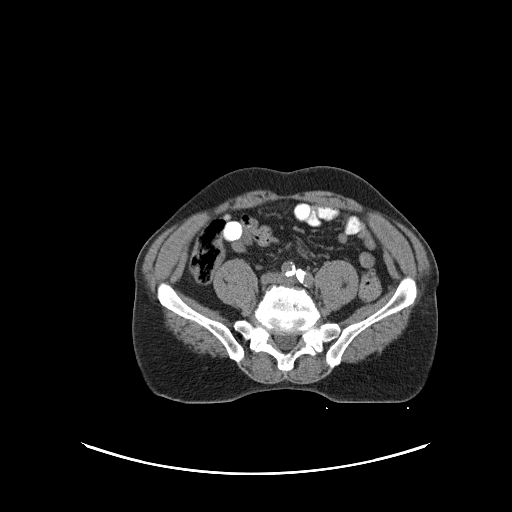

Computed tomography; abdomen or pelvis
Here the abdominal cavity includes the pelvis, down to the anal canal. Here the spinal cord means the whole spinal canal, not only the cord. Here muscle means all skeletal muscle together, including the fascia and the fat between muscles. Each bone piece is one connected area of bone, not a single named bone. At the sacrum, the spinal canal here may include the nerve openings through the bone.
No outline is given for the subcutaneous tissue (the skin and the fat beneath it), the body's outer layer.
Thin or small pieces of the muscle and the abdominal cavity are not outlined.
Outlines (x, y in pixels):
torso: (316, 165) (343, 168) (369, 182) (416, 227) (434, 254) (439, 272) (438, 339) (423, 389) (400, 403) (337, 403) (315, 392) (294, 389) (204, 404) (181, 403) (152, 393) (136, 364) (131, 338) (134, 265) (145, 241) (183, 203) (229, 171) (251, 166) (291, 171)
bones 1: (406, 276) (416, 283) (413, 303) (361, 331) (332, 369) (325, 361) (332, 340) (314, 355) (300, 355) (283, 371) (271, 354) (250, 349) (249, 341) (233, 328) (237, 320) (255, 321) (258, 302) (275, 284) (305, 289) (319, 311) (317, 323) (335, 322) (342, 329) (381, 308); inner edge: (285, 333) (286, 334) (294, 334) (297, 340) (296, 342) (296, 344) (293, 348) (293, 349) (291, 349) (288, 351) (284, 351) (281, 349) (279, 349) (277, 348) (274, 345) (275, 343) (274, 341) (274, 337) (275, 335) (276, 334) (284, 334)
bones 2: (162, 282) (168, 283) (175, 290) (179, 297) (191, 308) (213, 320) (223, 323) (232, 331) (232, 333) (235, 338) (243, 348) (244, 352) (244, 356) (239, 364) (230, 359) (223, 344) (207, 329) (194, 321) (178, 315) (173, 311) (163, 306) (159, 302) (156, 295) (157, 286)
spinal cord: (285, 333) (286, 334) (294, 334) (297, 340) (296, 342) (296, 344) (293, 348) (293, 349) (291, 349) (288, 351) (284, 351) (281, 349) (279, 349) (277, 348) (274, 345) (275, 343) (274, 341) (274, 337) (275, 335) (276, 334) (284, 334)
muscle 1: (253, 190) (270, 190) (279, 195) (331, 191) (403, 223) (421, 243) (430, 266) (428, 280) (405, 333) (372, 358) (341, 363) (345, 350) (361, 332) (414, 303) (417, 283) (411, 276) (404, 276) (381, 307) (342, 328) (339, 322) (358, 308) (377, 302) (392, 285) (379, 240) (366, 222) (348, 209) (303, 199) (282, 198) (251, 207) (229, 209) (202, 225) (188, 244) (176, 285) (187, 296) (233, 322) (233, 330) (248, 341) (249, 349) (271, 355) (276, 367) (283, 372) (290, 371) (300, 356) (314, 356) (323, 351) (324, 343) (332, 341) (324, 354) (324, 361) (332, 370) (330, 373) (311, 383) (287, 380) (262, 383) (250, 378) (229, 359) (199, 354) (179, 343) (165, 327) (147, 292) (142, 273) (144, 258) (154, 241) (176, 223) with a hole at (162, 282) (168, 283) (175, 290) (179, 297) (191, 308) (213, 320) (223, 323) (232, 331) (232, 333) (235, 338) (243, 348) (244, 352) (244, 356) (239, 364) (230, 359) (223, 344) (207, 329) (194, 321) (178, 315) (173, 311) (163, 306) (159, 302) (156, 295) (157, 286)
muscle 2: (232, 259) (242, 259) (244, 260) (249, 265) (252, 271) (255, 274) (256, 281) (257, 282) (256, 283) (256, 306) (253, 310) (253, 319) (254, 320) (253, 322) (244, 318) (238, 310) (233, 308) (222, 301) (218, 297) (214, 289) (214, 278) (216, 275) (216, 273) (224, 263)
muscle 3: (334, 260) (342, 260) (348, 262) (354, 268) (357, 276) (357, 290) (354, 297) (350, 301) (339, 308) (331, 311) (326, 316) (326, 320) (327, 321) (318, 323) (321, 317) (321, 314) (317, 304) (313, 298) (315, 293) (315, 286) (316, 285) (315, 276) (318, 270) (326, 262)
abdominal cavity: (282, 199) (348, 210) (365, 222) (390, 275) (387, 292) (328, 321) (357, 293) (348, 261) (326, 261) (317, 270) (313, 297) (303, 287) (273, 283) (257, 303) (256, 274) (232, 258) (215, 273) (213, 289) (243, 318) (232, 321) (184, 293) (177, 284) (202, 226) (229, 210)